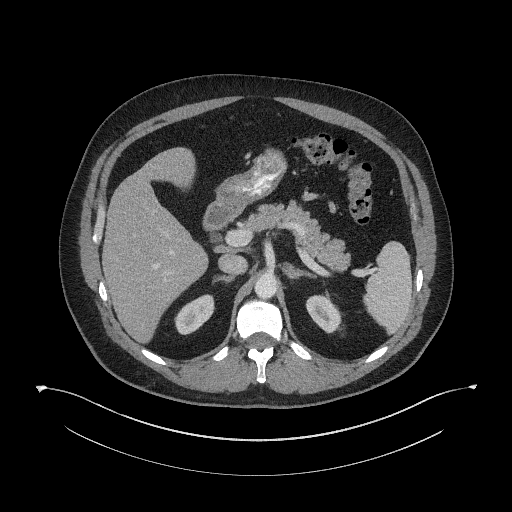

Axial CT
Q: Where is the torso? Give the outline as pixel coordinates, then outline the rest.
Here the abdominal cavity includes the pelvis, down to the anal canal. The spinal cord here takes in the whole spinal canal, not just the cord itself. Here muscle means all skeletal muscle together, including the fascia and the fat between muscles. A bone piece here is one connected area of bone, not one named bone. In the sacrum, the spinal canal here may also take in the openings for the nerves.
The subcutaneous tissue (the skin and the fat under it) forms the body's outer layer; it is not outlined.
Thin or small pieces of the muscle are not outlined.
A: {"torso":[[[271,409],[320,405],[389,382],[419,359],[439,329],[453,288],[453,244],[447,208],[430,155],[401,113],[375,97],[348,88],[233,73],[191,76],[154,86],[111,112],[92,135],[80,160],[58,238],[59,274],[66,305],[94,358],[122,382],[190,405]]],"muscle":[{"outer":[[301,395],[317,393],[321,391],[341,387],[357,380],[369,373],[372,370],[377,368],[393,355],[401,350],[418,333],[421,327],[422,315],[428,302],[428,299],[431,294],[431,289],[433,282],[433,274],[434,273],[435,260],[436,259],[435,253],[437,244],[436,243],[434,216],[430,201],[429,192],[420,173],[420,171],[416,165],[410,159],[403,149],[374,127],[359,118],[341,110],[323,104],[310,102],[293,97],[263,95],[262,94],[246,94],[245,95],[232,95],[231,96],[224,96],[223,97],[207,99],[194,103],[185,104],[165,111],[144,121],[142,121],[121,134],[102,152],[98,157],[91,170],[91,173],[89,176],[89,181],[85,191],[85,195],[82,201],[82,210],[80,217],[80,231],[78,237],[81,270],[84,277],[84,280],[87,285],[107,335],[113,342],[120,346],[135,359],[158,372],[168,380],[188,389],[197,390],[203,392],[209,392],[210,393],[221,393],[222,392],[231,393],[232,392],[244,391],[248,389],[250,385],[259,385],[260,384],[264,385],[271,390],[278,393],[282,394],[297,393]],"holes":[[[259,383],[265,381],[266,364],[281,341],[306,360],[312,359],[308,349],[328,359],[378,359],[403,325],[423,275],[421,269],[414,274],[415,249],[393,161],[355,132],[274,100],[248,98],[131,144],[110,174],[106,208],[98,206],[92,240],[101,243],[100,298],[110,301],[118,323],[146,358],[167,365],[165,359],[185,361],[217,350],[211,358],[219,361],[228,355],[229,347],[222,346],[236,327],[247,357],[256,364]],[[414,221],[416,221],[417,220],[417,218],[418,217],[417,216],[417,213],[416,212],[416,206],[415,205],[415,203],[413,201],[413,200],[411,198],[411,202],[410,203],[410,209],[411,210],[411,214],[412,215],[412,219]]]}],"spinal_cord":[[[260,351],[261,350],[262,350],[265,347],[268,346],[271,343],[271,338],[270,337],[269,337],[267,335],[266,335],[263,333],[257,333],[256,334],[251,336],[248,339],[248,341],[250,343],[250,344],[253,347],[255,347],[258,350],[259,350]]],"bones":[{"outer":[[259,383],[265,381],[266,364],[274,354],[274,346],[279,342],[287,344],[302,359],[310,360],[312,356],[304,347],[290,340],[286,332],[282,332],[281,312],[276,305],[254,299],[246,301],[239,308],[236,327],[247,347],[247,357],[256,364],[256,379]],"hole":[[260,351],[261,350],[262,350],[265,347],[268,346],[271,343],[271,338],[270,337],[269,337],[267,335],[266,335],[263,333],[257,333],[256,334],[251,336],[248,339],[248,341],[250,343],[250,344],[253,347],[255,347],[258,350],[259,350]]},[[95,244],[98,244],[101,241],[101,238],[102,237],[102,233],[103,232],[103,224],[104,223],[104,219],[105,218],[105,210],[101,205],[99,205],[98,206],[98,209],[97,210],[97,218],[96,219],[96,222],[94,226],[94,231],[92,235],[92,240]],[[160,365],[167,365],[167,362],[166,361],[165,361],[162,358],[162,357],[161,356],[160,356],[159,355],[158,355],[157,354],[156,354],[145,348],[141,348],[140,351],[141,352],[141,353],[146,358],[147,358],[151,361],[152,361],[157,364],[159,364]],[[365,363],[369,363],[381,357],[387,351],[388,349],[388,346],[387,346],[385,344],[381,346],[379,348],[376,349],[373,352],[369,354],[367,356],[367,357],[363,360],[363,362]],[[215,361],[219,361],[220,360],[223,359],[228,355],[228,351],[229,350],[229,347],[227,345],[226,346],[223,347],[219,351],[218,351],[215,354],[214,354],[212,356],[212,357],[211,358],[212,359],[212,360],[214,360]],[[105,304],[108,300],[108,296],[107,295],[107,293],[106,292],[106,289],[105,288],[104,283],[103,282],[103,281],[102,280],[101,280],[99,282],[99,288],[98,289],[98,291],[99,292],[99,295],[100,296],[100,298],[102,300],[103,303],[104,303]],[[417,292],[419,292],[420,291],[420,290],[421,289],[421,287],[422,286],[422,280],[423,279],[423,275],[422,274],[422,271],[421,270],[421,269],[418,269],[417,270],[417,271],[416,272],[416,277],[415,278],[415,286],[416,287],[416,291]],[[414,221],[416,221],[417,220],[417,218],[418,217],[417,216],[417,213],[416,212],[416,206],[415,205],[415,203],[413,201],[413,200],[411,198],[411,202],[410,203],[410,209],[411,210],[411,214],[412,215],[412,219]]],"abdominal_cavity":[[[181,361],[203,357],[228,342],[238,308],[254,298],[276,304],[289,334],[328,359],[363,359],[396,335],[413,295],[415,249],[393,161],[355,132],[260,98],[237,101],[171,124],[131,144],[108,179],[100,248],[104,282],[122,329],[142,347],[165,359]]]}